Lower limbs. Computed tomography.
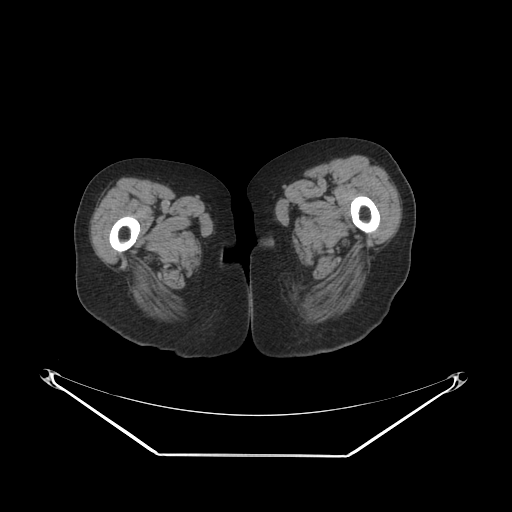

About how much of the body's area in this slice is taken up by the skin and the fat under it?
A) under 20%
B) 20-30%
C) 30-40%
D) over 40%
D) over 40%
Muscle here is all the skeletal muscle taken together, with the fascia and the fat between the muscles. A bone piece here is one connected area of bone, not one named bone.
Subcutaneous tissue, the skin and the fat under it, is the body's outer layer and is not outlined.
Outlined structures:
right leg: [[131,157],[153,157],[189,163],[210,172],[228,189],[236,246],[225,256],[242,264],[248,278],[250,300],[250,332],[236,351],[212,358],[182,358],[167,350],[138,345],[95,319],[80,303],[75,287],[73,225],[81,196],[87,183],[99,170],[113,162]]
bones 1: [[359,195],[364,195],[365,196],[369,197],[374,202],[379,211],[379,214],[380,215],[380,221],[379,222],[379,225],[374,231],[370,232],[369,233],[366,233],[360,230],[353,223],[352,219],[351,218],[351,214],[350,213],[350,203],[356,196],[358,196]]
bones 2: [[123,216],[132,216],[134,217],[139,222],[139,224],[140,225],[140,230],[139,231],[138,236],[135,242],[131,247],[130,247],[128,249],[124,251],[118,251],[114,249],[111,246],[109,242],[109,233],[110,232],[111,227],[112,225],[115,222],[115,221]]
muscle 1: [[352,153],[361,153],[374,158],[387,172],[401,199],[401,222],[395,235],[375,255],[366,284],[356,302],[343,315],[332,321],[308,325],[304,323],[299,311],[311,279],[300,263],[285,229],[273,214],[273,207],[280,187],[307,166],[338,155]]; inner edge: [[359,195],[364,195],[365,196],[369,197],[374,202],[379,211],[379,214],[380,215],[380,221],[379,222],[379,225],[374,231],[370,232],[369,233],[366,233],[360,230],[353,223],[352,219],[351,218],[351,214],[350,213],[350,203],[356,196],[358,196]]
muscle 2: [[120,175],[138,175],[166,182],[176,193],[199,195],[210,208],[214,231],[204,247],[202,262],[197,273],[180,291],[187,309],[187,316],[180,321],[161,322],[146,316],[129,297],[125,275],[108,268],[93,250],[88,236],[92,213],[100,194],[116,176]]; inner edge: [[123,216],[132,216],[134,217],[139,222],[139,224],[140,225],[140,230],[139,231],[138,236],[135,242],[131,247],[130,247],[128,249],[124,251],[118,251],[114,249],[111,246],[109,242],[109,233],[110,232],[111,227],[112,225],[115,222],[115,221]]
left leg: [[336,136],[359,137],[380,144],[390,152],[409,182],[416,204],[416,225],[409,273],[383,321],[359,342],[333,352],[307,357],[266,357],[257,351],[251,337],[248,274],[249,255],[256,238],[252,212],[246,197],[246,188],[255,173],[274,157],[306,142]]